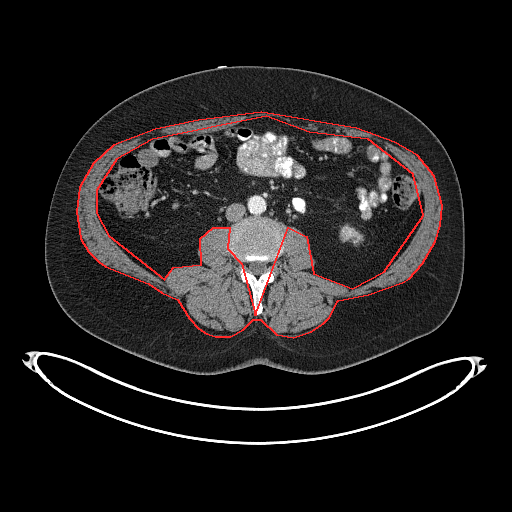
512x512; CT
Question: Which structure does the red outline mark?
Answer: red: muscle.
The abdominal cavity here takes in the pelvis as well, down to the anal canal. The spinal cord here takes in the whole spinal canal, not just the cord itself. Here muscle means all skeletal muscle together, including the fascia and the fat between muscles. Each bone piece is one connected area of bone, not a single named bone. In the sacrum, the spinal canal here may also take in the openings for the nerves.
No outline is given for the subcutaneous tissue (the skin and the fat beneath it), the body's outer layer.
The muscle is outlined by [[293,337],[311,331],[323,323],[329,317],[338,300],[368,294],[402,282],[409,278],[422,263],[435,241],[440,225],[442,205],[434,176],[417,155],[394,142],[356,128],[261,112],[198,120],[155,129],[113,145],[93,163],[79,187],[76,211],[80,238],[88,251],[98,261],[105,266],[148,283],[161,292],[177,299],[189,318],[198,328],[206,333],[215,336],[230,336],[243,329],[253,319],[260,319],[276,334]]; inner edge: [[255,315],[288,227],[306,236],[313,273],[352,288],[384,271],[423,215],[413,174],[368,139],[309,132],[266,116],[152,139],[116,159],[96,190],[96,213],[108,235],[164,279],[173,267],[201,264],[200,238],[213,227],[229,227],[227,248],[241,263]]. The bones are outlined by [[255,315],[258,315],[262,312],[263,307],[261,297],[263,289],[266,284],[273,281],[273,262],[282,254],[285,245],[285,236],[282,227],[277,222],[267,218],[245,218],[230,228],[227,237],[228,251],[241,263],[240,277],[250,286],[252,290],[252,308]]; inner edge: [[257,276],[261,273],[262,273],[264,271],[265,271],[265,270],[266,269],[266,264],[264,262],[260,262],[259,261],[254,261],[253,262],[251,262],[250,263],[249,263],[249,268],[248,269],[248,270],[249,270],[252,273],[253,273]]. The spinal cord is outlined by [[257,276],[261,273],[262,273],[264,271],[265,271],[265,270],[266,269],[266,264],[264,262],[260,262],[259,261],[254,261],[253,262],[251,262],[250,263],[249,263],[249,268],[248,269],[248,270],[249,270],[252,273],[253,273]]. The torso is outlined by [[205,375],[254,364],[307,374],[336,371],[429,334],[445,321],[463,279],[463,200],[447,151],[419,118],[376,92],[330,75],[279,66],[220,66],[178,76],[127,97],[81,136],[59,174],[46,222],[45,267],[55,299],[66,315],[91,335],[154,363]]. The abdominal cavity is outlined by [[348,288],[384,271],[423,215],[416,178],[368,139],[309,132],[275,117],[257,117],[218,131],[149,140],[116,159],[98,184],[96,213],[105,231],[162,279],[173,267],[202,263],[199,240],[211,228],[267,217],[283,229],[297,227],[316,262],[310,270]].